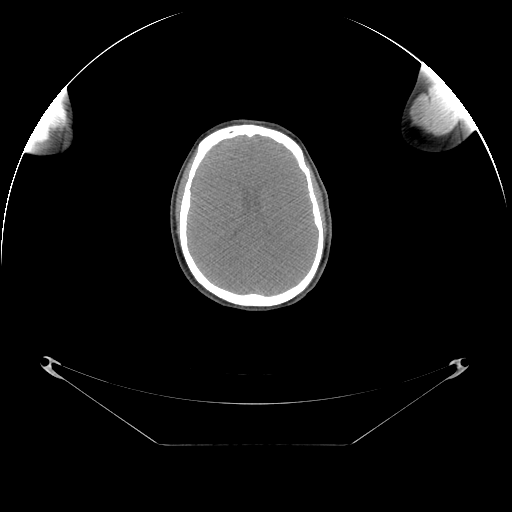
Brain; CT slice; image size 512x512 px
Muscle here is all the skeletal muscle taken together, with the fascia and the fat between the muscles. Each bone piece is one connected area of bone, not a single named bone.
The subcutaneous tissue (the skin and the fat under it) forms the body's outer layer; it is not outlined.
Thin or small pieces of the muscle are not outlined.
{"brain":[[[255,135],[269,138],[281,144],[293,156],[305,180],[312,219],[317,232],[314,254],[307,271],[295,284],[272,294],[257,292],[239,293],[226,289],[211,281],[196,263],[189,249],[187,234],[192,183],[206,154],[214,146],[224,140],[237,136],[251,138]]],"head":[[[233,118],[254,118],[272,121],[295,133],[307,148],[328,194],[332,217],[332,238],[325,269],[315,287],[305,297],[292,305],[271,311],[243,311],[225,307],[200,293],[183,274],[174,253],[170,234],[170,198],[182,162],[192,144],[202,132],[221,121]]],"bones":[{"outer":[[246,123],[263,125],[279,130],[291,137],[300,146],[304,154],[305,164],[309,169],[323,230],[322,256],[309,284],[291,299],[270,306],[239,305],[213,294],[195,279],[188,268],[180,247],[179,218],[181,201],[199,142],[205,136],[219,128],[233,124]],"hole":[[255,135],[269,138],[281,144],[293,156],[305,180],[312,219],[317,232],[314,254],[307,271],[295,284],[272,294],[257,292],[239,293],[226,289],[211,281],[196,263],[189,249],[187,234],[192,183],[206,154],[214,146],[224,140],[237,136],[251,138]]}],"muscle":[[[438,76],[445,82],[463,104],[469,113],[469,115],[462,121],[463,122],[462,124],[455,130],[441,135],[432,135],[425,133],[423,131],[413,126],[413,124],[411,122],[409,111],[411,105],[418,95],[420,90],[424,86],[428,83],[430,83],[433,79]],[[57,94],[59,95],[62,101],[63,108],[65,111],[65,117],[66,118],[65,120],[65,123],[61,129],[60,132],[44,141],[43,140],[28,140],[30,137],[30,135],[32,133],[35,126],[37,124],[41,116],[48,107],[52,100],[57,95]],[[196,148],[195,154],[192,159],[188,171],[187,179],[184,184],[183,192],[180,201],[179,217],[178,218],[178,239],[179,240],[179,243],[178,241],[178,236],[176,233],[176,223],[175,222],[175,203],[176,202],[176,196],[178,191],[178,187],[183,175],[184,170]],[[305,156],[313,171],[314,176],[322,194],[323,204],[324,205],[324,211],[325,212],[325,217],[326,218],[326,225],[327,226],[327,232],[325,238],[325,245],[324,248],[324,230],[322,224],[322,218],[320,213],[318,201],[314,192],[310,169],[306,164]]],"left_arm":[[[424,65],[430,67],[445,82],[463,104],[475,124],[475,127],[473,128],[471,134],[459,145],[448,151],[433,153],[432,152],[426,152],[416,149],[406,143],[400,134],[400,118],[402,114],[404,105],[409,94],[413,88],[416,80],[417,73],[421,66]]],"right_arm":[[[62,90],[64,90],[67,92],[72,104],[72,108],[74,114],[74,139],[71,146],[63,153],[54,154],[48,156],[37,156],[25,151],[25,145],[26,142],[28,138],[30,137],[30,135],[32,133],[41,116],[48,107],[52,100],[57,95],[57,94]]]}